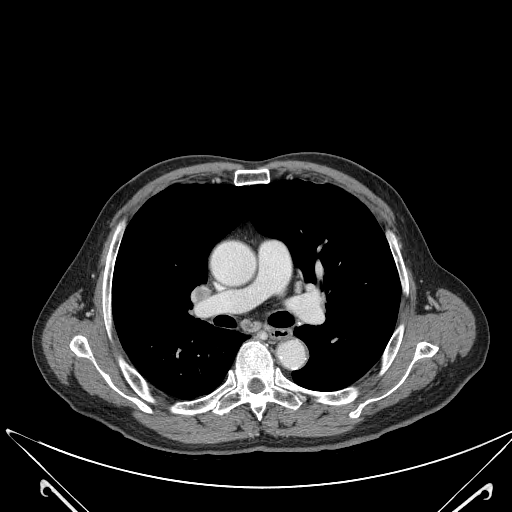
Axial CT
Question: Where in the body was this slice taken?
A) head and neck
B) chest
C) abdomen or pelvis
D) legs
Answer: B) chest
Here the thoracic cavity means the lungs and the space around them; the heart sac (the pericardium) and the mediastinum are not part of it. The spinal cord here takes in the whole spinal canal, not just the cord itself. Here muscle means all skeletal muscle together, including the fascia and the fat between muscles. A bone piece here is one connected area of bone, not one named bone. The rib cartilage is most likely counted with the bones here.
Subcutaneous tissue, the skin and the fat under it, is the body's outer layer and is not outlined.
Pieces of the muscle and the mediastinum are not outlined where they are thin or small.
{"torso":[[[300,151],[348,158],[387,181],[403,199],[434,259],[459,278],[479,302],[489,326],[487,356],[448,403],[406,426],[342,448],[192,455],[151,448],[127,438],[76,411],[51,389],[33,357],[32,330],[116,189],[143,169],[175,156],[211,154],[262,160]]],"thoracic_cavity":[[[296,176],[343,188],[384,232],[401,297],[379,360],[336,390],[291,379],[310,357],[294,329],[310,319],[311,296],[287,246],[245,215],[211,248],[203,286],[215,322],[247,336],[232,366],[193,399],[152,387],[113,320],[128,222],[175,183],[250,186]]],"mediastinum":[[[245,216],[260,234],[286,246],[293,264],[303,275],[310,296],[312,312],[309,319],[293,329],[293,334],[307,346],[309,357],[303,367],[291,372],[290,378],[275,365],[266,343],[247,339],[247,335],[219,325],[208,303],[204,286],[208,277],[208,256]]],"bones":[{"outer":[[247,340],[266,344],[274,365],[301,387],[327,392],[356,385],[359,395],[340,405],[316,402],[309,396],[295,410],[268,402],[260,420],[247,403],[221,415],[211,410],[193,415],[171,413],[167,407],[174,401],[193,400],[216,389],[225,380],[240,346]],"hole":[[254,378],[257,378],[258,379],[259,379],[262,382],[262,383],[263,384],[263,388],[260,391],[259,391],[258,392],[253,392],[252,391],[251,391],[249,389],[249,388],[248,387],[248,384],[249,383],[249,382],[252,379],[253,379]]},[[77,334],[87,339],[97,364],[125,394],[133,397],[138,395],[125,379],[116,355],[121,354],[135,368],[151,387],[157,399],[156,404],[148,404],[152,413],[141,410],[132,401],[120,395],[106,382],[90,359],[77,356],[71,350],[69,342]],[[123,217],[125,217],[127,219],[127,223],[115,258],[113,275],[111,281],[111,313],[113,321],[113,328],[112,329],[113,340],[111,342],[108,337],[103,318],[103,310],[102,309],[103,271],[105,266],[105,258],[113,231],[117,223]],[[421,341],[426,341],[434,345],[437,345],[438,350],[431,357],[419,358],[413,364],[407,377],[395,390],[383,398],[368,403],[361,410],[358,417],[349,417],[349,413],[354,410],[360,403],[369,398],[377,397],[385,393],[400,380],[413,358],[417,343]],[[387,228],[390,229],[395,234],[400,248],[400,251],[402,257],[404,260],[404,264],[407,272],[407,278],[408,279],[408,284],[409,285],[409,292],[407,296],[404,295],[402,293],[401,284],[400,283],[397,268],[395,264],[395,261],[391,252],[384,231]],[[261,166],[266,166],[269,169],[270,171],[270,178],[271,179],[268,183],[257,183],[256,184],[251,184],[250,185],[235,185],[233,183],[232,181],[233,179],[233,174],[234,173],[234,171],[236,169],[238,169],[239,168],[257,168]],[[399,322],[403,322],[404,323],[404,331],[403,332],[403,336],[401,340],[401,343],[399,346],[399,348],[397,351],[396,355],[394,357],[392,362],[388,368],[381,376],[378,377],[377,376],[377,373],[379,369],[379,361],[380,360],[380,358],[397,324]]],"muscle":[{"outer":[[287,159],[337,169],[390,207],[416,285],[416,312],[434,312],[435,292],[444,288],[461,298],[475,317],[476,336],[463,357],[450,362],[424,387],[346,432],[317,437],[262,432],[217,443],[185,443],[165,437],[138,422],[125,408],[89,394],[75,381],[69,385],[60,381],[43,352],[42,331],[53,311],[79,289],[83,311],[93,306],[98,261],[114,214],[155,178],[212,161],[245,167],[236,168],[231,181],[213,175],[168,185],[147,199],[128,221],[123,216],[107,246],[102,318],[111,343],[114,327],[129,361],[121,353],[115,358],[137,396],[114,384],[84,335],[70,338],[70,350],[90,360],[115,392],[148,414],[154,412],[149,404],[158,403],[152,388],[174,400],[166,407],[171,414],[193,416],[211,411],[221,416],[247,404],[260,421],[268,403],[294,411],[309,397],[324,405],[351,403],[360,395],[354,384],[378,362],[376,376],[381,377],[402,343],[405,323],[397,321],[402,294],[407,297],[410,292],[397,236],[388,227],[384,230],[362,201],[335,183],[294,173],[271,178],[270,169],[262,165]],"hole":[[421,341],[426,341],[434,345],[437,345],[438,350],[431,357],[419,358],[413,364],[407,377],[395,390],[383,398],[368,403],[361,410],[358,417],[349,417],[349,413],[354,410],[360,403],[369,398],[377,397],[385,393],[400,380],[413,358],[417,343]]}],"spinal_cord":[[[254,378],[257,378],[258,379],[259,379],[262,382],[262,383],[263,384],[263,388],[260,391],[259,391],[258,392],[253,392],[252,391],[251,391],[249,389],[249,388],[248,387],[248,384],[249,383],[249,382],[252,379],[253,379]]]}